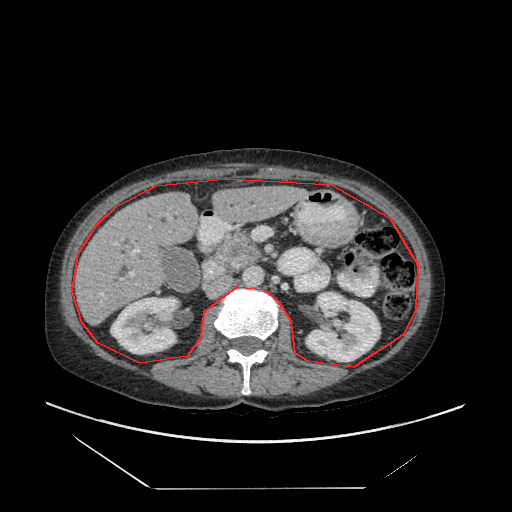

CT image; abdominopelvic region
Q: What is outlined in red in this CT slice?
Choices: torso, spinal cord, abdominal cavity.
A: red: abdominal cavity.
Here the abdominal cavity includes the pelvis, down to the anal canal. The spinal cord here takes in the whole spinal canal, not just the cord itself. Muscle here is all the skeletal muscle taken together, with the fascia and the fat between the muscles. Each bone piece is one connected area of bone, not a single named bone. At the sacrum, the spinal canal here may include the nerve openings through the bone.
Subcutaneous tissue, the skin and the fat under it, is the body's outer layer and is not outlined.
The abdominal cavity is outlined by 227,178 331,184 389,217 417,264 415,310 402,335 353,367 308,361 295,353 291,321 278,301 264,290 236,287 203,312 200,337 187,356 139,363 98,343 82,323 72,291 78,253 96,225 117,205 156,185. The torso is outlined by 246,147 299,150 353,163 382,179 410,204 437,246 445,279 441,323 425,357 407,376 381,391 286,411 262,410 244,403 221,410 149,405 64,371 47,346 44,291 52,250 74,214 99,191 142,166 186,154. The spinal cord is outlined by 244,336 250,336 251,337 255,337 256,338 258,338 262,342 263,344 263,347 254,351 251,354 249,355 244,355 238,350 233,348 231,346 231,341 233,339 235,338 238,338 239,337 243,337. The muscle is outlined by 243,162 281,165 358,181 381,193 410,220 427,254 431,293 421,325 389,359 306,395 248,396 251,394 251,367 263,363 270,352 266,347 268,338 279,327 280,306 289,318 291,346 300,359 349,368 385,352 406,331 416,310 418,264 404,233 382,210 358,194 335,184 313,180 227,177 159,183 113,207 95,225 77,253 71,275 73,303 85,330 98,344 139,364 184,358 193,353 201,337 204,312 218,306 212,324 226,340 227,361 241,367 241,396 219,398 188,393 114,364 96,355 65,323 60,306 62,260 74,232 96,205 115,191 146,178 185,168. The bones are outlined by 236,288 264,291 279,304 278,327 267,338 268,344 265,347 269,352 263,362 256,362 250,367 250,394 248,395 241,393 243,386 242,367 237,362 228,361 226,353 228,348 226,344 227,340 213,324 223,296, around a hole outlined by 244,336 250,336 251,337 255,337 256,338 258,338 262,342 263,344 263,347 254,351 251,354 249,355 244,355 238,350 233,348 231,346 231,341 233,339 235,338 238,338 239,337 243,337.